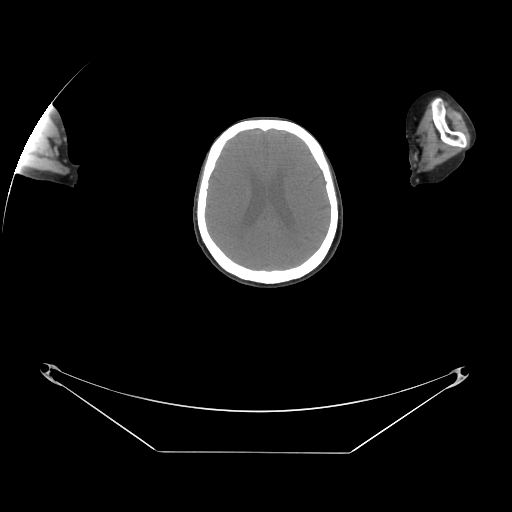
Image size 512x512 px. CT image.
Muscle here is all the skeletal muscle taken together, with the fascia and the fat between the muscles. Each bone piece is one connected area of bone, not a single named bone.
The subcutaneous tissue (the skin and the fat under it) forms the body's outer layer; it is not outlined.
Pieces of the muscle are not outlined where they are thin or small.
Outlines (x, y in pixels):
bones 1: (248, 119) (288, 120) (299, 124) (311, 133) (323, 149) (336, 193) (338, 223) (335, 236) (328, 252) (314, 269) (301, 277) (284, 282) (260, 283) (242, 279) (226, 271) (208, 251) (202, 241) (197, 225) (196, 208) (199, 185) (209, 148) (214, 140) (226, 128) (234, 123) with a hole at (255, 129) (263, 132) (269, 130) (283, 131) (301, 140) (319, 168) (324, 181) (324, 189) (329, 205) (329, 219) (324, 236) (317, 248) (307, 258) (287, 268) (255, 269) (238, 263) (229, 257) (216, 243) (207, 225) (206, 208) (209, 182) (217, 161) (228, 141) (242, 132)
bones 2: (436, 97) (440, 97) (443, 100) (443, 104) (446, 110) (446, 114) (445, 115) (446, 121) (449, 127) (454, 131) (461, 131) (465, 135) (467, 141) (466, 147) (462, 148) (458, 146) (454, 146) (447, 144) (442, 141) (440, 137) (440, 134) (436, 128) (432, 118) (431, 102)
left arm: (437, 88) (449, 92) (464, 108) (474, 124) (476, 131) (476, 140) (473, 147) (466, 153) (465, 158) (460, 166) (445, 179) (438, 183) (432, 184) (424, 183) (413, 187) (409, 183) (410, 169) (408, 163) (408, 144) (404, 130) (405, 117) (409, 106) (418, 96) (428, 90)
right arm: (51, 102) (59, 110) (61, 117) (65, 121) (64, 126) (67, 134) (69, 158) (72, 162) (80, 165) (78, 171) (78, 180) (73, 187) (50, 181) (35, 180) (21, 174) (15, 174) (14, 172) (14, 169) (18, 165) (21, 158) (24, 146) (37, 123) (46, 111) (47, 106)
brain: (255, 129) (263, 132) (269, 130) (283, 131) (301, 140) (319, 168) (324, 181) (324, 189) (329, 205) (329, 219) (324, 236) (317, 248) (307, 258) (287, 268) (255, 269) (238, 263) (229, 257) (216, 243) (207, 225) (206, 208) (209, 182) (217, 161) (228, 141) (242, 132)
head: (258, 115) (273, 115) (288, 118) (305, 128) (314, 136) (332, 163) (343, 203) (342, 235) (339, 245) (330, 261) (319, 272) (307, 280) (295, 285) (275, 289) (262, 289) (242, 285) (220, 273) (208, 261) (198, 246) (191, 217) (192, 200) (198, 172) (212, 142) (237, 120)
muscle 1: (46, 111) (58, 127) (60, 137) (61, 138) (61, 146) (60, 147) (61, 156) (65, 159) (65, 163) (70, 169) (70, 171) (67, 174) (64, 175) (56, 174) (47, 171) (37, 170) (27, 165) (18, 165) (23, 152) (23, 148) (24, 146) (33, 132) (37, 123)
muscle 2: (433, 97) (435, 97) (430, 102) (431, 118) (433, 124) (439, 134) (441, 141) (447, 145) (463, 149) (459, 153) (438, 165) (433, 170) (418, 173) (416, 172) (413, 158) (414, 154) (414, 136) (413, 135) (414, 128) (416, 124) (416, 120) (422, 113) (428, 102)
muscle 3: (436, 96) (441, 96) (444, 99) (448, 100) (457, 110) (461, 112) (470, 133) (470, 143) (467, 147) (468, 145) (468, 141) (466, 135) (461, 130) (454, 130) (450, 127) (447, 121) (447, 117) (446, 116) (447, 114) (447, 110) (444, 104) (444, 100) (440, 96)